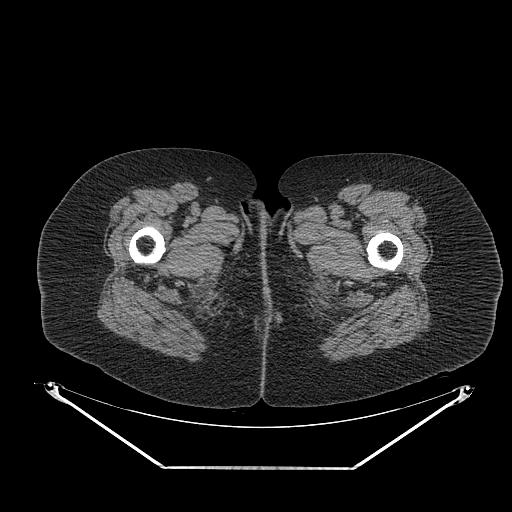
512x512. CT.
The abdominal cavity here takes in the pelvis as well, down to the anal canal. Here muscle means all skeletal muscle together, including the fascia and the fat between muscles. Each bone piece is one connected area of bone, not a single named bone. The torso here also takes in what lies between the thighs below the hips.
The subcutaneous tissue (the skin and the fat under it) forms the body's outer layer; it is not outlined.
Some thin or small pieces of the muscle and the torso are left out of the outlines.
{"torso":[[[254,192],[254,196],[264,202],[271,214],[280,206],[286,210],[286,215],[278,231],[278,252],[285,290],[286,312],[295,355],[300,408],[272,407],[262,399],[252,406],[235,408],[252,282],[253,231],[249,217],[243,207],[245,210],[247,209],[245,200]]],"left_leg":[[[353,152],[395,152],[427,159],[447,169],[465,185],[491,229],[503,271],[494,329],[485,350],[474,360],[454,370],[443,371],[397,390],[356,401],[301,407],[296,355],[279,252],[279,231],[290,204],[278,191],[277,184],[283,172],[303,158]]],"abdominal_cavity":[[[266,314],[269,314],[270,315],[271,314],[272,314],[272,317],[273,318],[272,319],[272,321],[271,322],[271,326],[270,325],[269,326],[269,327],[268,327],[265,329],[265,327],[264,326],[264,325],[262,322],[262,316],[263,316]]],"muscle":[{"outer":[[361,182],[402,189],[412,194],[423,207],[431,259],[423,269],[421,278],[426,285],[431,324],[420,338],[365,356],[330,361],[323,357],[316,346],[322,331],[307,306],[305,286],[301,283],[303,277],[288,246],[287,224],[297,211],[314,205],[347,185]],"hole":[[378,230],[389,231],[391,233],[396,235],[401,240],[403,244],[403,247],[404,248],[404,254],[403,255],[402,260],[396,267],[395,270],[393,271],[390,271],[386,269],[375,267],[371,265],[367,260],[367,252],[366,251],[366,246],[369,240]]},{"outer":[[165,179],[191,182],[232,210],[243,224],[243,244],[227,274],[223,286],[223,303],[201,329],[211,340],[201,361],[190,362],[184,358],[165,355],[119,336],[106,328],[95,312],[103,282],[112,270],[112,260],[104,251],[104,234],[111,206],[132,186]],"hole":[[145,225],[152,225],[155,227],[161,233],[164,239],[164,243],[166,249],[165,252],[162,255],[161,258],[157,262],[153,264],[138,264],[135,263],[129,255],[129,252],[128,251],[128,244],[131,236],[137,230],[140,229]]},{"outer":[[268,308],[271,308],[275,312],[280,312],[282,320],[277,324],[275,328],[275,331],[266,340],[266,341],[264,341],[264,340],[257,334],[257,332],[255,329],[255,326],[254,325],[254,320],[255,319],[256,314],[259,311],[261,311],[262,310],[266,310]],"hole":[[266,314],[269,314],[270,315],[271,314],[272,314],[272,317],[273,318],[272,319],[272,321],[271,322],[271,326],[270,325],[269,326],[269,327],[268,327],[265,329],[265,327],[264,326],[264,325],[262,322],[262,316],[263,316]]}],"bones":[[[378,230],[389,231],[391,233],[396,235],[401,240],[403,244],[403,247],[404,248],[404,254],[403,255],[402,260],[396,267],[395,270],[393,271],[390,271],[386,269],[375,267],[371,265],[367,260],[367,252],[366,251],[366,246],[369,240]],[[145,225],[152,225],[155,227],[161,233],[164,239],[164,243],[166,249],[165,252],[162,255],[161,258],[157,262],[153,264],[138,264],[135,263],[129,255],[129,252],[128,251],[128,244],[131,236],[137,230],[140,229]]],"right_leg":[[[151,147],[189,147],[226,153],[244,162],[256,179],[256,189],[242,203],[242,210],[248,217],[252,231],[251,282],[234,408],[188,406],[142,393],[96,366],[58,349],[45,338],[42,331],[36,265],[39,238],[47,218],[76,179],[90,167],[122,152]]]}